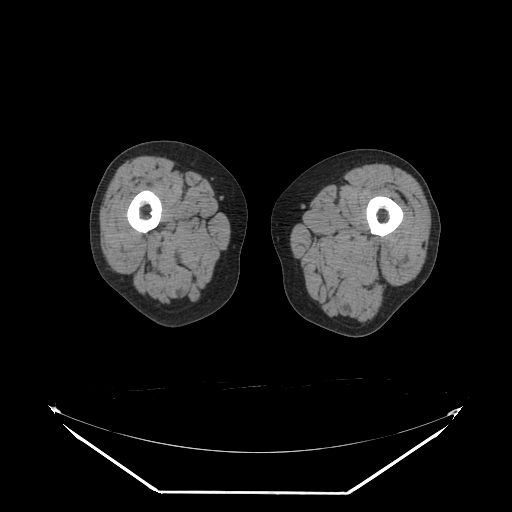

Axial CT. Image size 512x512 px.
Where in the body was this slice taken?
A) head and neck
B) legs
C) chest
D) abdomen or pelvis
Answer: B) legs
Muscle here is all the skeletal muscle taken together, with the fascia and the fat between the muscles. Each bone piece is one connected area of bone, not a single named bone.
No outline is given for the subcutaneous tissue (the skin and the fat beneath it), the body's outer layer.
The muscle appears in 2 outlined pieces: piece 1: [[376,162],[399,167],[413,176],[419,183],[431,213],[430,235],[426,259],[419,274],[411,282],[392,293],[379,310],[379,313],[368,324],[352,328],[336,323],[322,313],[309,300],[290,249],[289,236],[293,225],[305,209],[305,206],[324,186],[354,167]]; inner edge: [[377,195],[383,195],[391,198],[401,207],[403,211],[403,218],[400,224],[392,232],[384,236],[380,236],[376,234],[372,234],[370,232],[370,229],[369,228],[369,226],[367,222],[367,219],[366,218],[366,207],[367,206],[368,201],[371,198]]; piece 2: [[140,155],[166,157],[205,177],[219,196],[230,223],[231,231],[229,244],[214,280],[209,289],[199,300],[187,307],[167,310],[162,307],[158,307],[154,303],[145,299],[109,268],[101,251],[99,239],[99,210],[108,184],[117,168],[122,163],[128,159]] with a hole at [[145,189],[152,191],[160,199],[161,201],[161,204],[162,205],[162,211],[161,212],[160,221],[157,226],[153,229],[145,233],[143,233],[142,232],[139,232],[137,231],[129,224],[127,220],[126,212],[127,211],[128,206],[133,197],[137,193]]. The right leg is outlined by [[151,140],[181,141],[194,145],[209,153],[234,176],[243,191],[247,203],[247,228],[240,254],[239,279],[233,294],[225,304],[210,315],[177,328],[164,327],[150,320],[110,287],[96,268],[89,242],[89,214],[91,203],[106,167],[125,149],[135,144]]. The left leg is outlined by [[356,148],[376,148],[389,151],[409,162],[422,175],[429,187],[439,212],[441,232],[435,264],[430,275],[421,287],[378,330],[362,337],[349,337],[306,320],[299,315],[289,303],[283,288],[280,262],[272,242],[270,216],[278,196],[303,171],[324,158]]. The bones appear in 2 outlined pieces: piece 1: [[377,195],[383,195],[391,198],[401,207],[403,211],[403,218],[400,224],[392,232],[384,236],[380,236],[376,234],[372,234],[370,232],[370,229],[369,228],[369,226],[367,222],[367,219],[366,218],[366,207],[367,206],[368,201],[371,198]]; piece 2: [[145,189],[152,191],[160,199],[161,201],[161,204],[162,205],[162,211],[161,212],[160,221],[157,226],[153,229],[145,233],[143,233],[142,232],[139,232],[137,231],[129,224],[127,220],[126,212],[127,211],[128,206],[133,197],[137,193]].